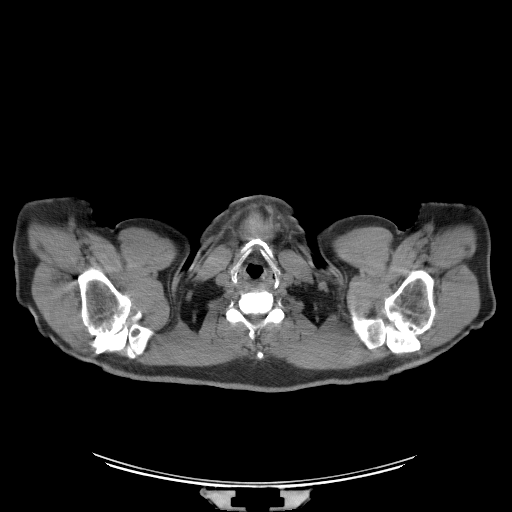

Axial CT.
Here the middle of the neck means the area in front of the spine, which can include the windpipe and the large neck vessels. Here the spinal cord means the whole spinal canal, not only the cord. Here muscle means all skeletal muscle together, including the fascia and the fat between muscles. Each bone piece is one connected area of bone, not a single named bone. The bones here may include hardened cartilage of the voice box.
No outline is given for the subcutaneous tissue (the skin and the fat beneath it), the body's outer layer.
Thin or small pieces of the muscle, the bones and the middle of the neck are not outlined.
{"muscle":[{"outer":[[259,198],[288,215],[294,243],[344,317],[355,268],[336,257],[334,236],[375,225],[398,243],[430,221],[471,223],[480,309],[421,355],[325,370],[249,360],[144,365],[112,353],[135,359],[155,331],[138,322],[142,312],[132,312],[130,297],[100,267],[75,279],[94,356],[63,340],[33,300],[33,216],[72,213],[113,242],[122,229],[142,227],[178,249],[162,272],[171,306],[160,329],[168,330],[222,224]],"holes":[[[416,269],[425,270],[434,280],[433,303],[435,315],[431,326],[417,336],[420,348],[413,352],[400,354],[392,353],[385,344],[369,349],[352,329],[350,310],[354,311],[359,317],[380,317],[386,322],[387,318],[382,312],[384,299],[398,288],[411,270]],[[252,238],[259,238],[261,239],[265,242],[272,250],[272,253],[274,256],[274,262],[280,271],[279,273],[279,283],[278,286],[276,288],[273,287],[248,287],[243,285],[238,285],[232,282],[230,270],[237,262],[240,256],[240,250],[241,248]],[[255,289],[264,289],[270,292],[276,300],[280,298],[283,306],[282,309],[284,317],[277,324],[273,322],[267,323],[255,338],[251,339],[249,336],[248,328],[240,321],[233,324],[229,322],[226,319],[225,313],[231,300],[236,301],[239,298],[241,292]]]}],"head_and_neck":[[[256,192],[273,194],[295,210],[295,216],[305,231],[313,252],[313,261],[320,267],[324,283],[324,309],[315,334],[290,357],[264,367],[240,367],[212,355],[194,337],[180,305],[179,282],[183,269],[189,267],[198,250],[198,239],[204,228],[229,203]]],"right_arm":[[[57,195],[78,195],[88,199],[93,209],[92,216],[100,226],[113,227],[128,218],[149,217],[167,222],[188,236],[191,248],[178,282],[178,302],[159,326],[112,334],[84,345],[72,356],[39,333],[34,318],[15,296],[12,241],[20,207],[31,199]]],"bones":[[[416,269],[425,270],[434,280],[433,303],[435,315],[431,326],[417,336],[420,348],[413,352],[400,354],[392,353],[385,344],[369,349],[352,329],[350,310],[354,311],[359,317],[380,317],[386,322],[387,318],[382,312],[384,299],[398,288],[411,270]],[[89,266],[100,268],[113,285],[129,297],[131,312],[135,313],[138,310],[141,312],[141,317],[137,322],[154,331],[144,351],[135,358],[127,357],[123,351],[107,351],[95,354],[90,345],[94,336],[88,332],[82,321],[81,296],[76,281],[77,276]],{"outer":[[255,289],[264,289],[270,292],[276,300],[280,298],[283,306],[282,309],[284,317],[277,324],[273,322],[267,323],[255,338],[251,339],[249,336],[248,328],[240,321],[233,324],[229,322],[226,319],[225,313],[231,300],[236,301],[239,298],[241,292]],"hole":[[248,314],[265,314],[265,316],[263,318],[263,319],[261,321],[260,321],[258,323],[256,323],[255,324],[254,324],[253,323],[252,323],[250,321],[249,321],[246,318],[246,317],[245,316],[245,315],[247,315]]},[[252,238],[261,239],[272,250],[274,262],[280,271],[278,276],[279,282],[276,288],[274,288],[274,272],[261,253],[261,247],[257,244],[251,247],[250,252],[241,263],[237,271],[236,283],[234,283],[231,279],[230,270],[237,262],[240,256],[241,248]]],"spinal_cord":[[[248,314],[265,314],[265,316],[263,318],[263,319],[261,321],[260,321],[258,323],[256,323],[255,324],[254,324],[253,323],[252,323],[250,321],[249,321],[246,318],[246,317],[245,316],[245,315],[247,315]]],"middle_of_the_neck":[[[255,245],[257,245],[260,247],[259,249],[260,253],[267,262],[268,265],[271,268],[273,272],[274,275],[274,284],[273,287],[248,287],[247,286],[236,284],[238,281],[237,278],[238,277],[238,271],[244,260],[251,252],[252,247]]],"torso":[[[321,266],[336,286],[344,310],[354,320],[411,338],[422,345],[433,360],[394,374],[387,380],[258,392],[134,380],[104,372],[72,357],[84,346],[112,335],[159,327],[179,302],[191,334],[212,356],[240,368],[279,364],[300,351],[319,328],[325,309]]],"left_arm":[[[429,200],[468,202],[481,209],[490,230],[490,273],[496,297],[492,317],[434,359],[422,344],[411,337],[354,319],[345,310],[339,290],[323,265],[325,261],[316,243],[316,234],[321,229],[337,219],[355,214],[382,216],[404,230],[415,220],[419,204]]]}